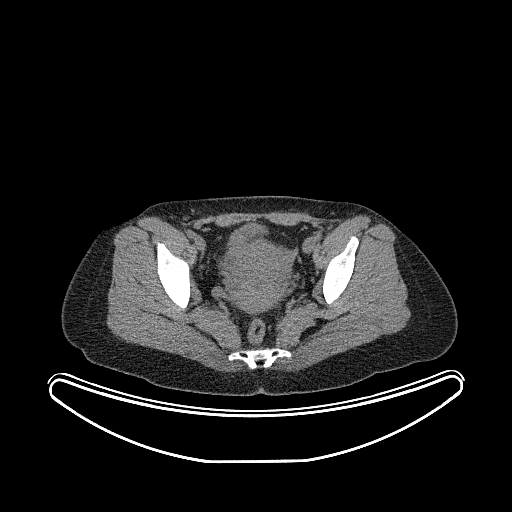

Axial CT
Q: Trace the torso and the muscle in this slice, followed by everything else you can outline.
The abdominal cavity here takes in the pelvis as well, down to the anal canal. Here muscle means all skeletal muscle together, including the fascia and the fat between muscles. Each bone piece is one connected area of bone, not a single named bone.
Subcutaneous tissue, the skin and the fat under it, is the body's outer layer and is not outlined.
A: Outlines (x, y in pixels):
torso: 249,195 288,195 354,202 391,221 426,255 453,298 458,325 455,339 449,349 435,359 375,373 348,386 275,396 262,393 227,396 169,389 90,362 65,338 60,314 70,279 97,234 109,224 135,216 159,202
muscle: 272,211 341,219 364,214 388,226 396,237 396,261 407,288 411,315 405,327 297,371 256,369 292,357 290,350 274,346 277,324 288,312 315,300 314,252 327,234 305,221 284,225 260,217 183,230 196,252 192,274 201,297 218,305 239,328 244,348 226,357 251,370 218,371 177,354 125,342 108,328 113,238 127,224 145,216 187,222 221,213; inner edges: 158,242 163,243 174,255 184,259 187,262 189,266 189,269 190,270 190,274 189,275 189,279 190,280 190,298 188,304 185,308 182,308 177,305 168,296 159,279 157,273 157,253 156,252 156,244, then 352,235 354,235 359,240 359,243 355,253 354,268 353,269 352,274 344,290 335,300 330,304 328,304 325,301 323,296 323,293 322,292 323,278 324,277 326,267 329,261 334,256 340,253 344,249 347,242
abdominal cavity: 260,218 284,226 293,226 305,222 326,234 313,252 313,263 317,279 311,292 314,300 309,300 295,307 279,320 275,328 273,346 245,348 240,328 218,304 202,297 193,274 197,252 184,230 210,225 225,227
bones 1: 158,242 163,243 174,255 184,259 187,262 189,266 189,269 190,270 190,274 189,275 189,279 190,280 190,298 188,304 185,308 182,308 177,305 168,296 159,279 157,273 157,253 156,252 156,244
bones 2: 352,235 354,235 359,240 359,243 355,253 354,268 353,269 352,274 344,290 335,300 330,304 328,304 325,301 323,296 323,293 322,292 323,278 324,277 326,267 329,261 334,256 340,253 344,249 347,242
bones 3: 266,347 278,347 281,349 288,350 292,354 290,358 278,357 269,367 266,368 264,368 260,365 255,369 250,369 244,361 240,359 229,360 227,357 230,353 235,351 239,351 242,349 251,349 252,348 255,349